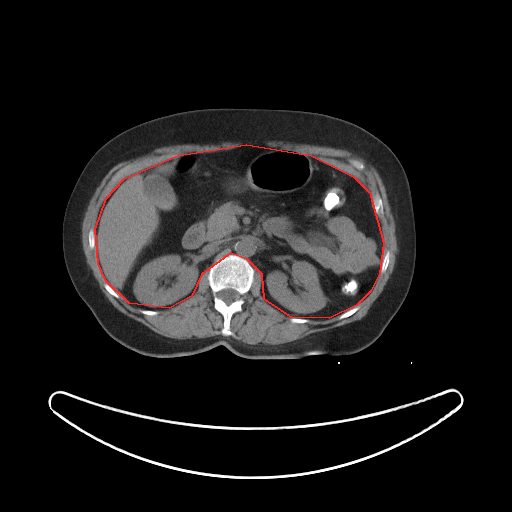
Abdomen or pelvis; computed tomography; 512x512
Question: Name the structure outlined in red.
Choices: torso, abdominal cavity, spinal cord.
Answer: red: abdominal cavity.
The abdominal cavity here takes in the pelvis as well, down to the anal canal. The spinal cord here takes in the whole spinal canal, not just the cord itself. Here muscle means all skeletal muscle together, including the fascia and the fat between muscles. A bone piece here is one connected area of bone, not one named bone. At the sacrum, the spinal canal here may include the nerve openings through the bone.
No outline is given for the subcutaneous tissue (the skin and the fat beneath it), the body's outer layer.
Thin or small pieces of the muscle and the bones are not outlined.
Outlined structures:
abdominal cavity: 246 144; 311 155; 353 176; 369 192; 383 243; 379 273; 370 291; 356 305; 329 318; 291 317; 264 299; 262 274; 247 259; 230 253; 201 274; 191 296; 169 308; 129 303; 106 281; 98 263; 95 229; 106 198; 124 178; 177 155
bones 1: 230 254; 237 255; 247 260; 253 268; 254 274; 249 290; 242 296; 244 300; 242 309; 235 312; 230 319; 229 327; 232 334; 226 336; 221 333; 221 329; 223 327; 223 316; 214 307; 213 295; 208 281; 208 273; 210 266; 218 258, around a hole outlined by 224 289; 232 289; 233 290; 234 290; 235 291; 236 291; 239 294; 239 298; 238 298; 237 299; 236 299; 235 300; 234 300; 232 302; 231 302; 229 304; 227 304; 221 298; 220 298; 218 296; 218 293; 221 290; 223 290
bones 2: 372 192; 377 192; 379 194; 379 196; 381 198; 381 199; 382 200; 382 204; 383 205; 383 215; 382 215; 381 216; 378 216; 376 214; 376 213; 374 211; 374 210; 373 209; 373 208; 372 207; 372 197; 371 196; 371 193
bones 3: 387 250; 388 250; 390 252; 390 255; 389 256; 389 262; 388 263; 388 265; 387 266; 387 268; 386 269; 386 270; 383 273; 380 273; 380 268; 381 267; 381 264; 382 263; 382 260; 383 259; 383 255; 384 254; 384 253
bones 4: 91 228; 93 228; 95 230; 95 246; 92 249; 91 249; 89 247; 89 242; 88 241; 88 234; 89 233; 89 230
bones 5: 357 305; 359 307; 359 308; 354 313; 353 313; 351 315; 350 315; 347 317; 345 317; 344 318; 342 318; 341 319; 338 319; 338 316; 339 315; 340 315; 342 313; 343 313; 344 312; 347 311; 349 309; 350 309; 351 308; 352 308
bones 6: 126 166; 129 166; 128 167; 128 168; 115 181; 114 181; 113 182; 111 182; 111 180; 112 179; 112 177; 120 169; 121 169; 122 168; 123 168; 124 167; 125 167
bones 7: 105 282; 106 282; 119 295; 119 297; 118 298; 117 298; 116 297; 115 297; 114 296; 113 296; 110 293; 109 293; 107 291; 107 290; 104 287; 104 283
bones 8: 352 160; 358 160; 359 161; 360 161; 361 162; 362 162; 363 163; 363 164; 364 165; 364 168; 362 170; 360 170; 359 169; 358 169; 357 168; 356 168; 353 165; 353 164; 352 163; 352 162; 351 161
torso: 219 107; 291 109; 338 117; 378 137; 402 164; 415 219; 414 273; 398 311; 381 335; 363 350; 299 359; 247 359; 219 345; 193 355; 148 356; 114 340; 76 292; 64 262; 62 222; 71 191; 88 160; 112 137; 137 124; 181 111
spinal cord: 224 289; 232 289; 233 290; 234 290; 235 291; 236 291; 239 294; 239 298; 238 298; 237 299; 236 299; 235 300; 234 300; 232 302; 231 302; 229 304; 227 304; 221 298; 220 298; 218 296; 218 293; 221 290; 223 290
muscle: 255 141; 282 141; 343 148; 364 158; 377 170; 385 187; 394 218; 398 251; 393 271; 367 313; 359 320; 281 344; 250 345; 227 336; 233 334; 230 327; 231 319; 235 313; 243 309; 245 302; 243 296; 253 284; 255 270; 261 274; 260 294; 263 299; 276 310; 289 316; 291 323; 304 324; 310 320; 325 320; 335 316; 341 320; 354 314; 360 308; 358 304; 368 295; 379 274; 387 270; 390 262; 391 252; 387 249; 383 254; 382 224; 378 217; 384 215; 384 205; 377 191; 370 193; 353 175; 311 154; 294 149; 271 147; 263 143; 246 143; 226 150; 180 153; 124 177; 101 204; 95 228; 91 227; 87 234; 88 247; 91 250; 95 247; 97 263; 105 280; 103 287; 117 299; 120 294; 129 304; 141 309; 140 312; 144 315; 156 316; 158 311; 169 309; 191 297; 197 291; 200 278; 207 269; 207 281; 213 307; 222 316; 221 335; 189 339; 170 338; 119 311; 100 289; 86 261; 81 239; 85 211; 103 177; 116 164; 164 146 with holes at 126 166; 129 166; 128 167; 128 168; 115 181; 114 181; 113 182; 111 182; 111 180; 112 179; 112 177; 120 169; 121 169; 122 168; 123 168; 124 167; 125 167 and at 352 160; 358 160; 359 161; 360 161; 361 162; 362 162; 363 163; 363 164; 364 165; 364 168; 362 170; 360 170; 359 169; 358 169; 357 168; 356 168; 353 165; 353 164; 352 163; 352 162; 351 161